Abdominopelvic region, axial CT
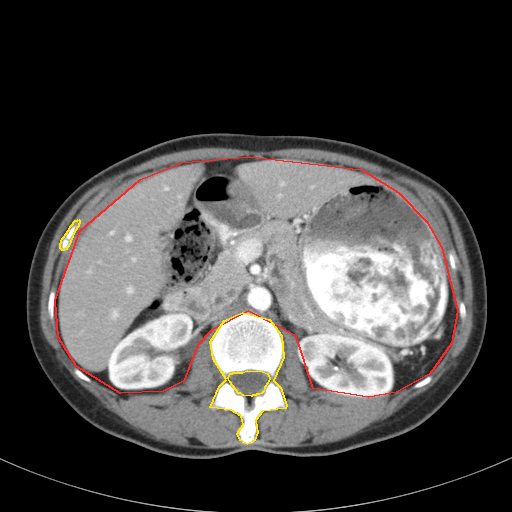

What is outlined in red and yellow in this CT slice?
red: abdominal cavity; yellow: bones.
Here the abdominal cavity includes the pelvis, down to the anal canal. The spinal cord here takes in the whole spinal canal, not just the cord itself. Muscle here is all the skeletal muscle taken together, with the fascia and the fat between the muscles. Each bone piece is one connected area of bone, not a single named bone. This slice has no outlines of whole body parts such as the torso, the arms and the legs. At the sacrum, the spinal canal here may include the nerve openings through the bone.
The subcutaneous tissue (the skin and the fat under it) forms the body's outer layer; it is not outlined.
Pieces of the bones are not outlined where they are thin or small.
The abdominal cavity is outlined by [[249,156],[361,169],[398,192],[426,221],[441,247],[457,310],[451,343],[429,374],[396,392],[368,397],[313,388],[296,336],[248,311],[211,330],[197,345],[183,381],[163,391],[120,393],[76,366],[58,337],[55,300],[80,230],[140,179],[181,162]]. The bones appear in 2 outlined pieces: piece 1: [[242,312],[269,319],[281,335],[283,357],[273,380],[280,387],[286,405],[285,408],[262,411],[255,420],[257,432],[254,440],[247,444],[240,440],[237,433],[243,424],[241,416],[231,410],[210,407],[219,386],[226,379],[213,359],[210,341],[224,320]], around a hole outlined by [[247,370],[262,371],[267,373],[269,378],[267,383],[264,387],[263,391],[261,393],[259,394],[256,394],[255,395],[252,395],[251,396],[243,395],[240,393],[238,393],[230,382],[228,378],[230,373],[232,373],[233,372],[242,372]]; piece 2: [[78,219],[79,220],[79,223],[78,224],[78,226],[74,231],[68,246],[66,248],[66,249],[64,250],[62,250],[60,248],[60,243],[61,242],[61,240],[62,238],[67,232],[67,231],[69,229],[70,226],[73,223],[73,222],[75,220],[77,220]]. The muscle is outlined by [[204,147],[327,150],[375,163],[436,190],[458,223],[472,277],[473,326],[457,364],[392,415],[346,438],[306,446],[248,444],[255,440],[262,412],[287,406],[274,380],[284,357],[281,328],[297,339],[296,353],[313,389],[368,398],[428,384],[452,343],[458,312],[464,321],[467,310],[462,300],[457,309],[454,306],[435,232],[398,191],[372,173],[337,161],[276,155],[192,159],[131,183],[89,218],[55,290],[48,294],[47,313],[76,367],[73,373],[120,394],[159,393],[181,384],[198,345],[214,330],[209,349],[225,379],[209,407],[240,416],[236,433],[246,445],[168,443],[139,432],[106,408],[62,365],[42,331],[42,276],[50,243],[67,212],[97,183],[154,157]], around holes outlined by [[78,219],[79,220],[79,223],[78,224],[78,226],[74,231],[68,246],[66,248],[66,249],[64,250],[62,250],[60,248],[60,243],[61,242],[61,240],[62,238],[67,232],[67,231],[69,229],[70,226],[73,223],[73,222],[75,220],[77,220]] and by [[451,248],[453,248],[454,249],[454,250],[455,251],[455,253],[456,254],[456,256],[457,257],[457,268],[456,269],[456,270],[453,270],[452,269],[452,268],[451,267],[451,266],[450,265],[450,264],[449,263],[449,260],[448,259],[448,251]]. The spinal cord is outlined by [[247,370],[262,371],[267,373],[269,378],[267,383],[264,387],[263,391],[261,393],[259,394],[256,394],[255,395],[252,395],[251,396],[243,395],[240,393],[238,393],[230,382],[228,378],[230,373],[232,373],[233,372],[242,372]].